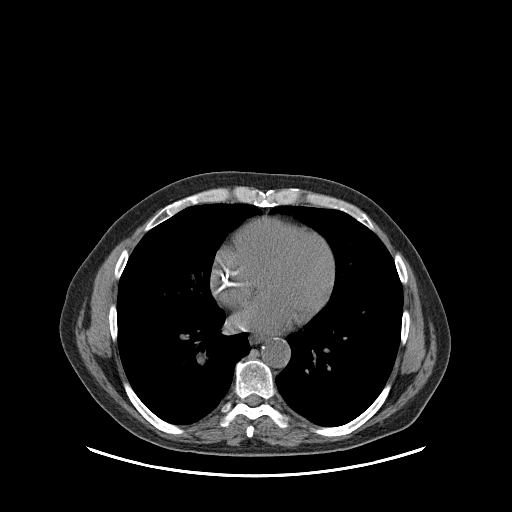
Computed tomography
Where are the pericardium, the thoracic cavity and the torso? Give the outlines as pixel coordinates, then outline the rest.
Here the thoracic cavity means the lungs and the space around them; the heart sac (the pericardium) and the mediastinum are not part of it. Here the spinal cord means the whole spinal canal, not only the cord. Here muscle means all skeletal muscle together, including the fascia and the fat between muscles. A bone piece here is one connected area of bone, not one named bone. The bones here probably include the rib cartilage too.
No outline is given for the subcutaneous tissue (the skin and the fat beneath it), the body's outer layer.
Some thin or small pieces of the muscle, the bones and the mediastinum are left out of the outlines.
{"pericardium":[[[261,214],[285,217],[312,228],[326,240],[334,257],[333,283],[325,305],[310,321],[301,328],[282,335],[264,335],[261,333],[240,329],[236,326],[228,314],[218,305],[212,294],[210,286],[211,271],[214,258],[221,244],[228,235],[240,224],[248,218]]],"thoracic_cavity":[[[227,202],[251,204],[261,210],[224,238],[215,252],[209,280],[211,294],[223,310],[227,323],[237,333],[246,333],[250,349],[234,365],[233,384],[227,399],[201,419],[178,425],[155,414],[128,381],[117,342],[119,280],[130,254],[148,231],[187,207]],[[281,205],[313,206],[348,214],[381,240],[393,258],[402,285],[399,345],[387,381],[361,413],[341,425],[317,425],[294,412],[275,384],[276,376],[291,358],[287,337],[303,330],[323,309],[335,277],[335,257],[327,240],[294,215],[272,212],[273,207]]],"torso":[[[229,170],[310,175],[342,183],[378,204],[410,240],[443,305],[451,349],[442,379],[409,426],[357,447],[327,453],[258,457],[207,455],[170,450],[139,438],[114,420],[86,389],[70,364],[59,336],[62,306],[76,270],[113,222],[151,193],[188,176]]],"muscle":[[[156,211],[145,224],[143,228],[145,233],[131,252],[129,253],[124,248],[116,260],[113,271],[114,278],[118,281],[116,303],[110,304],[107,316],[111,340],[117,343],[119,357],[127,378],[127,381],[122,382],[124,392],[135,409],[158,430],[168,434],[181,435],[186,430],[180,426],[201,420],[220,405],[221,415],[218,424],[223,428],[227,427],[238,415],[243,415],[250,421],[267,416],[279,428],[284,429],[289,425],[291,417],[282,408],[282,401],[294,413],[312,423],[308,427],[311,432],[324,437],[349,434],[370,419],[380,409],[391,391],[392,383],[388,379],[399,346],[403,346],[407,341],[411,321],[410,312],[403,308],[403,286],[408,283],[406,265],[399,252],[392,256],[377,235],[370,218],[407,260],[415,276],[424,305],[435,328],[436,359],[431,374],[418,392],[401,408],[382,421],[341,440],[299,444],[293,447],[272,446],[252,437],[254,426],[251,423],[245,429],[247,438],[235,446],[183,442],[162,437],[133,417],[102,388],[86,367],[75,337],[75,326],[80,309],[100,266],[123,239]]],"spinal_cord":[[[252,394],[255,394],[256,395],[257,395],[258,396],[259,396],[261,398],[261,402],[259,404],[258,404],[257,405],[256,405],[255,406],[250,406],[246,402],[246,401],[245,400],[246,399],[246,398],[248,396],[249,396],[250,395],[251,395]]],"bones":[[[235,186],[248,186],[263,191],[295,187],[304,194],[315,193],[333,197],[353,204],[364,212],[374,226],[375,232],[342,210],[314,206],[304,201],[297,204],[257,206],[233,200],[187,206],[145,232],[146,224],[164,206],[201,191],[220,187],[231,189]],{"outer":[[250,359],[260,360],[270,369],[281,399],[281,408],[290,417],[286,427],[279,427],[267,415],[261,415],[254,420],[250,420],[245,415],[238,414],[227,426],[223,427],[219,424],[222,415],[220,408],[228,399],[234,384],[235,365],[239,360],[246,361]],"hole":[[252,394],[255,394],[256,395],[257,395],[258,396],[259,396],[261,398],[261,402],[259,404],[258,404],[257,405],[256,405],[255,406],[250,406],[246,402],[246,401],[245,400],[246,399],[246,398],[248,396],[249,396],[250,395],[251,395]]},[[388,382],[391,383],[391,388],[386,399],[382,405],[370,418],[351,432],[342,435],[324,436],[320,434],[317,434],[309,429],[309,427],[311,424],[314,424],[317,426],[321,426],[322,427],[335,427],[336,426],[341,426],[353,420],[361,414],[375,400]],[[124,381],[126,381],[129,383],[130,386],[139,399],[155,415],[156,415],[162,420],[168,423],[174,424],[183,428],[185,431],[181,434],[173,434],[172,433],[168,433],[158,429],[151,423],[150,423],[136,409],[136,408],[130,401],[123,387],[123,382]],[[111,304],[115,304],[115,305],[116,306],[116,318],[117,319],[117,341],[116,342],[114,342],[112,340],[112,337],[111,336],[111,333],[110,332],[110,329],[109,328],[109,317],[108,316],[108,315],[109,314],[109,308],[110,307],[110,306],[111,305]],[[396,253],[399,253],[400,254],[402,258],[402,260],[406,268],[406,271],[407,272],[407,283],[405,285],[403,285],[400,281],[400,279],[399,278],[399,276],[398,275],[398,273],[396,269],[396,266],[395,265],[395,262],[394,261],[394,258],[393,257]],[[404,309],[406,309],[409,312],[409,316],[410,317],[410,321],[409,322],[409,330],[408,331],[408,334],[407,335],[407,338],[406,339],[406,341],[403,345],[401,345],[400,344],[400,336],[401,335],[401,323],[402,322],[402,314],[403,313],[403,310]],[[124,249],[126,249],[128,251],[128,253],[129,255],[128,256],[127,261],[125,264],[125,266],[118,280],[115,278],[115,276],[114,275],[114,271],[115,270],[115,265],[117,262],[117,260],[121,252]]],"mediastinum":[[[226,314],[236,327],[246,332],[253,332],[264,336],[282,336],[289,334],[286,337],[286,340],[291,351],[290,358],[285,367],[275,376],[274,379],[269,366],[260,359],[250,358],[241,360],[250,352],[251,349],[248,335],[244,331],[237,332],[228,323]],[[259,207],[272,207],[270,210],[272,213],[279,213],[280,214],[284,214],[285,215],[291,215],[292,216],[294,216],[304,223],[300,223],[299,222],[297,222],[295,220],[285,216],[279,216],[278,215],[272,215],[267,213],[262,213],[262,210]]]}